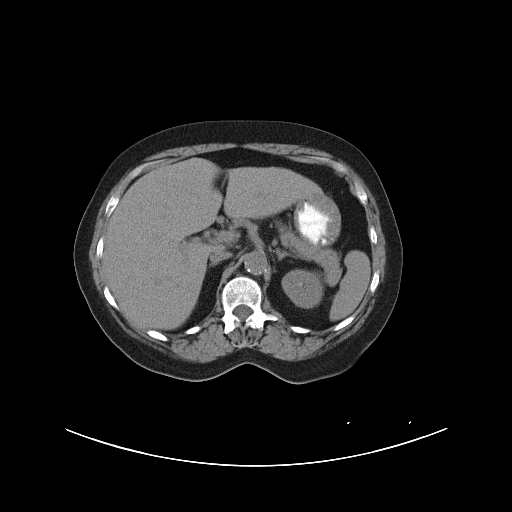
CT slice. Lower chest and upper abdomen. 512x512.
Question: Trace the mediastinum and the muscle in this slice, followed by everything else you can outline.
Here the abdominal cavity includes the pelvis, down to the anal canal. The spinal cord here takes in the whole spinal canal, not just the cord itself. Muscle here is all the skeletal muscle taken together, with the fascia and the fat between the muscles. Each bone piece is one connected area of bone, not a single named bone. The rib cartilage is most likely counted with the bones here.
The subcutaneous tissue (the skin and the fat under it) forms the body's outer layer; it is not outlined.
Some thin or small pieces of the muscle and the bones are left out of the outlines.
Answer: The mediastinum is outlined by 258,251 259,252 263,252 265,256 265,258 269,265 269,275 265,283 264,291 262,292 262,288 261,286 255,279 246,275 237,275 230,278 227,281 229,274 230,273 230,271 244,256 252,252 257,252. The muscle is outlined by 218,141 229,141 230,142 259,142 260,143 263,142 288,143 289,144 298,144 305,147 311,147 315,149 327,151 334,155 340,157 347,163 351,165 357,171 369,187 369,189 374,197 374,199 376,202 379,212 384,223 385,239 386,240 386,249 387,250 386,273 384,278 382,290 378,296 371,311 365,319 365,321 360,328 356,332 344,340 320,354 318,354 311,358 308,358 304,360 299,360 298,361 282,360 278,358 275,358 270,354 263,353 255,348 245,347 247,344 243,341 236,345 236,347 240,349 238,349 217,360 204,362 203,363 197,363 196,362 191,362 186,360 182,360 178,358 172,357 130,336 125,332 117,323 105,306 102,298 99,295 89,265 89,244 90,243 93,224 98,213 98,211 101,206 103,200 109,192 114,182 136,162 139,161 146,156 157,153 160,151 169,148 176,147 180,145 198,144 199,143 217,142; inner edge: 231,149 327,166 311,157 325,157 343,164 348,170 343,174 351,187 354,188 356,179 365,191 367,202 363,207 367,227 373,226 377,236 377,242 371,244 371,256 373,270 379,271 379,281 372,293 367,290 353,313 354,318 345,326 337,330 330,326 307,333 295,332 263,293 261,309 278,319 266,320 262,329 236,327 225,333 220,319 224,310 218,297 211,313 199,324 199,331 168,333 165,335 168,340 164,341 150,336 146,327 131,321 105,298 103,288 107,284 96,248 99,238 106,233 107,202 127,175 146,162 159,161 146,167 137,178 202,153. The torso is outlined by 212,119 271,119 317,127 355,145 375,168 401,237 400,287 383,329 357,362 343,373 295,384 257,366 243,364 203,381 177,379 132,361 110,341 93,317 78,285 73,247 81,217 103,173 120,152 152,133. The spinal cord is outlined by 239,305 245,305 246,306 247,306 248,307 249,307 252,310 252,312 244,320 241,320 236,315 235,315 233,313 233,310 237,306 238,306. The abdominal cavity is outlined by 231,149 323,164 345,176 365,211 373,269 368,289 353,313 323,329 289,323 263,293 270,265 258,250 244,255 229,271 211,313 183,332 164,334 148,329 120,309 106,283 102,256 109,217 126,186 165,165. The bones appear in 10 outlined pieces: piece 1: 237,276 246,276 258,283 262,293 261,309 266,313 275,315 278,318 277,320 266,320 262,329 247,327 243,330 239,327 236,327 228,333 224,332 224,323 220,319 224,313 221,302 221,292 224,285 230,279; inner edge: 239,305 245,305 246,306 247,306 248,307 249,307 252,310 252,312 244,320 241,320 236,315 235,315 233,313 233,310 237,306 238,306; piece 2: 152,161 159,161 158,162 146,167 143,171 138,175 126,182 123,185 120,192 120,195 117,204 111,212 110,215 107,216 104,212 107,202 112,194 116,191 119,186 123,182 127,175 135,167 143,163 151,162; piece 3: 312,156 317,156 318,157 325,157 326,158 334,160 337,162 339,162 343,164 347,168 348,170 348,173 342,173 341,172 336,171 327,163 325,163 324,162 316,160 314,158 312,158 311,157; piece 4: 354,179 356,179 359,182 359,183 361,185 361,186 365,191 365,193 367,196 367,202 365,205 363,205 360,202 360,201 359,200 359,199 355,194 355,192 354,191 355,190 354,189 354,185 353,184 353,180; piece 5: 106,285 109,289 109,291 110,292 110,293 112,295 114,300 116,302 116,303 119,308 119,309 118,310 117,310 114,307 113,307 107,301 107,300 104,296 104,294 103,293 103,288 104,287 104,286 105,286; piece 6: 375,270 378,270 379,271 379,281 378,282 378,284 377,285 377,286 376,287 376,288 375,289 375,290 372,293 369,290 369,286 370,285 370,283 371,282 371,280 372,279 372,275 373,274 373,272; piece 7: 149,329 151,329 152,330 155,330 156,331 158,331 159,332 162,333 167,337 168,340 167,341 164,341 163,340 160,340 159,339 157,339 156,338 154,338 153,337 150,336 147,333 147,330 148,330; piece 8: 352,314 354,314 355,315 354,316 354,318 348,324 347,324 345,326 344,326 343,327 342,327 341,328 340,328 337,330 333,330 333,327 336,324 337,324 339,322 342,321 344,319 347,318; piece 9: 101,236 103,236 104,237 104,239 103,240 103,249 102,250 102,255 101,256 101,257 100,258 98,258 96,256 96,248 97,247 97,243 98,242 98,240 99,239 99,238; piece 10: 290,325 294,325 295,326 300,326 301,327 304,327 305,328 309,328 310,329 311,329 311,331 310,332 308,332 307,333 298,333 297,332 295,332 294,331 293,331 292,330 291,330 289,328 289,326.